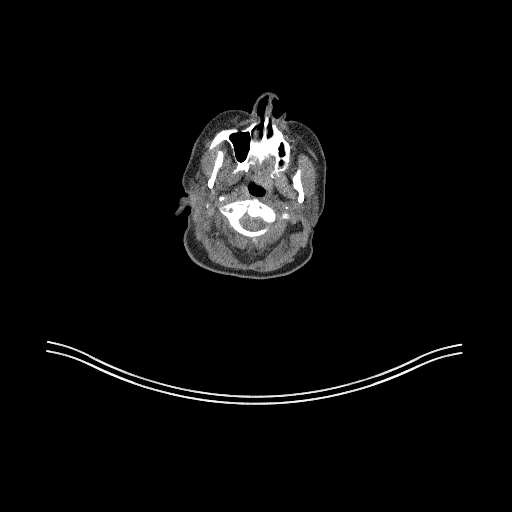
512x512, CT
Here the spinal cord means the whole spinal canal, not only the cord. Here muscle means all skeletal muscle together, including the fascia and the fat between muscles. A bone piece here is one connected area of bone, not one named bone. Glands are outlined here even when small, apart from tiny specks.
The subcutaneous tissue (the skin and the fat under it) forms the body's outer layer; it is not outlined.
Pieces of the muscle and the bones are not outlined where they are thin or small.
{"muscle":[{"outer":[[236,116],[257,120],[240,128],[220,129],[207,148],[210,151],[225,141],[236,164],[233,174],[246,173],[267,162],[272,179],[289,167],[291,145],[277,121],[301,135],[317,156],[316,193],[309,193],[303,205],[303,215],[310,223],[306,246],[293,262],[269,272],[218,265],[202,255],[194,240],[194,206],[200,207],[208,199],[208,188],[213,188],[224,160],[224,152],[216,150],[206,182],[198,167],[204,139],[218,123]],"holes":[[[255,197],[261,202],[272,207],[276,212],[278,217],[283,212],[286,212],[289,215],[288,219],[279,219],[278,217],[269,230],[257,238],[256,243],[253,242],[248,237],[236,231],[230,226],[228,219],[219,210],[220,206],[227,203],[236,200],[252,199]],[[298,168],[300,169],[300,171],[301,172],[301,174],[300,175],[301,176],[301,183],[302,184],[303,192],[304,193],[304,199],[301,203],[299,203],[297,200],[298,193],[297,191],[293,187],[293,185],[292,184],[292,177],[294,175],[295,172]],[[252,184],[253,184],[256,186],[258,186],[259,187],[261,187],[263,189],[263,190],[264,191],[263,194],[262,194],[261,195],[254,195],[253,194],[250,193],[250,191],[249,190],[249,187],[250,186],[250,185],[251,185]]]}],"spinal_cord":[[[244,216],[248,216],[250,218],[255,218],[256,217],[259,217],[263,221],[264,223],[264,225],[263,227],[255,231],[251,231],[250,230],[248,230],[246,229],[244,227],[243,227],[243,226],[241,224],[241,219]]],"bones":[{"outer":[[266,116],[275,123],[290,145],[288,167],[281,171],[278,177],[270,177],[272,166],[267,161],[261,165],[251,166],[246,172],[239,170],[233,173],[237,164],[225,140],[210,150],[208,148],[215,134],[220,130],[234,127],[240,129],[254,121],[262,121]],"hole":[[238,133],[246,133],[249,137],[247,151],[245,154],[245,156],[244,157],[244,158],[242,160],[239,160],[238,159],[238,158],[237,157],[237,154],[236,153],[236,150],[235,149],[235,145],[234,144],[234,142],[231,138],[231,136],[233,134],[237,134]]},{"outer":[[255,197],[261,202],[272,207],[276,212],[278,217],[283,212],[286,212],[289,215],[288,219],[279,219],[278,217],[269,230],[257,238],[256,243],[253,242],[248,237],[236,231],[230,226],[228,219],[219,210],[220,206],[227,203],[236,200],[252,199]],"hole":[[244,216],[248,216],[250,218],[255,218],[256,217],[259,217],[263,221],[264,223],[264,225],[263,227],[255,231],[251,231],[250,230],[248,230],[246,229],[244,227],[243,227],[243,226],[241,224],[241,219]]},[[217,150],[221,150],[223,152],[223,160],[222,161],[222,164],[216,174],[216,176],[215,177],[215,180],[214,181],[213,186],[212,188],[209,188],[207,185],[207,181],[212,172],[212,170],[214,166],[214,162],[216,158],[216,152]],[[298,168],[300,169],[300,171],[301,172],[301,174],[300,175],[301,176],[301,183],[302,184],[303,192],[304,193],[304,199],[301,203],[299,203],[297,200],[298,193],[297,191],[293,187],[293,185],[292,184],[292,177],[294,175],[295,172]]],"parotid_glands":[[[198,168],[200,168],[200,170],[203,175],[203,177],[206,183],[207,191],[208,192],[208,196],[207,197],[207,199],[205,202],[200,206],[197,206],[197,204],[196,203],[194,205],[194,199],[190,191],[190,185],[189,184],[190,179],[193,176],[195,171]],[[311,193],[314,193],[316,194],[318,198],[318,208],[317,209],[317,213],[316,214],[316,217],[315,218],[315,223],[313,225],[312,225],[311,223],[309,221],[308,221],[307,219],[306,219],[304,215],[304,205],[306,201],[306,198],[307,196]]],"head_and_neck":[{"outer":[[265,91],[279,97],[272,100],[275,117],[285,111],[287,120],[300,121],[316,134],[326,160],[325,203],[314,227],[310,259],[290,274],[255,280],[218,274],[196,264],[183,244],[190,208],[174,213],[185,194],[183,172],[204,126],[225,110],[249,112]],"holes":[[[238,133],[246,133],[249,137],[247,151],[245,154],[245,156],[244,157],[244,158],[242,160],[239,160],[238,159],[238,158],[237,157],[237,154],[236,153],[236,150],[235,149],[235,145],[234,144],[234,142],[231,138],[231,136],[233,134],[237,134]],[[252,184],[253,184],[256,186],[258,186],[259,187],[261,187],[263,189],[263,190],[264,191],[263,194],[262,194],[261,195],[254,195],[253,194],[250,193],[250,191],[249,190],[249,187],[250,186],[250,185],[251,185]],[[264,97],[265,97],[266,98],[266,104],[265,105],[265,106],[264,107],[264,109],[263,110],[263,113],[262,114],[262,116],[261,115],[260,115],[258,113],[258,108],[259,107],[259,106],[260,105],[260,102],[261,101],[261,100]]]}]}